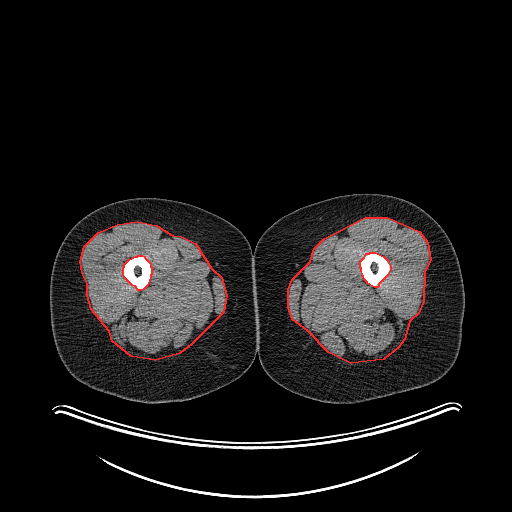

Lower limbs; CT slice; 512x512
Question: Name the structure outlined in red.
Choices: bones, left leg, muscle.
Answer: red: muscle.
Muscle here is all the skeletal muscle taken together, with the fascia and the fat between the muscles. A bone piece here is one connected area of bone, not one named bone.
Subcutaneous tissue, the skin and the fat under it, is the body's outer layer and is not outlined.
{"muscle":[{"outer":[[365,217],[387,217],[419,231],[427,242],[430,259],[424,272],[423,301],[418,313],[409,321],[404,339],[398,347],[383,359],[350,363],[328,352],[308,331],[292,319],[288,307],[288,289],[292,279],[310,261],[314,248],[324,238]],"hole":[[370,252],[375,252],[383,256],[387,260],[390,266],[390,269],[387,275],[378,284],[378,286],[377,287],[374,287],[367,283],[367,282],[364,279],[363,277],[363,275],[361,271],[361,268],[360,267],[360,262],[361,260],[364,257],[366,253],[369,253]]},{"outer":[[137,221],[156,225],[172,235],[181,236],[195,243],[211,268],[221,277],[226,295],[223,312],[191,344],[179,353],[155,360],[131,356],[112,341],[109,331],[91,309],[87,295],[87,283],[82,273],[80,261],[84,246],[98,232],[117,224]],"hole":[[138,255],[142,255],[144,256],[145,258],[149,262],[150,266],[151,267],[151,274],[150,275],[149,281],[147,285],[143,289],[141,290],[138,290],[135,286],[132,285],[125,278],[123,274],[123,267],[124,266],[124,264],[129,259],[135,256],[137,256]]}],"right_leg":[[[138,197],[176,200],[216,214],[237,227],[246,237],[253,251],[257,355],[248,369],[235,380],[206,394],[183,401],[142,403],[86,386],[76,380],[65,368],[56,350],[52,335],[49,308],[50,276],[56,253],[64,237],[81,218],[91,211],[111,202]]],"left_leg":[[[356,193],[386,194],[407,200],[428,213],[445,231],[457,255],[464,285],[465,308],[462,324],[462,342],[453,366],[443,377],[429,385],[360,403],[327,403],[299,395],[282,387],[265,372],[260,363],[253,250],[262,233],[282,216],[318,201]]],"bones":[[[370,252],[375,252],[383,256],[387,260],[390,266],[390,269],[387,275],[378,284],[378,286],[377,287],[374,287],[367,283],[367,282],[364,279],[363,277],[363,275],[361,271],[361,268],[360,267],[360,262],[361,260],[364,257],[366,253],[369,253]],[[138,255],[142,255],[144,256],[145,258],[149,262],[150,266],[151,267],[151,274],[150,275],[149,281],[147,285],[143,289],[141,290],[138,290],[135,286],[132,285],[125,278],[123,274],[123,267],[124,266],[124,264],[129,259],[135,256],[137,256]]]}